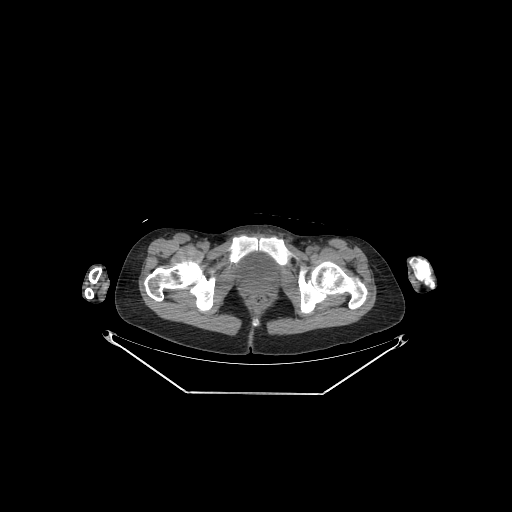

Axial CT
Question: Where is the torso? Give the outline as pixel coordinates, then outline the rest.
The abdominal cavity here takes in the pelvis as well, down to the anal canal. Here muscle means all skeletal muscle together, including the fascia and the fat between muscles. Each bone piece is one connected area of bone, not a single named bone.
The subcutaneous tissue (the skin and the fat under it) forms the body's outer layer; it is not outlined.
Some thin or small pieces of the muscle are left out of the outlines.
Answer: The torso is outlined by [[244,224],[272,224],[300,235],[351,235],[366,240],[379,250],[402,291],[405,300],[403,318],[387,330],[352,343],[298,355],[251,352],[225,355],[201,351],[170,342],[127,323],[117,313],[114,291],[123,262],[137,240],[157,228],[187,228],[219,233]]. The right arm is outlined by [[97,262],[99,262],[103,264],[106,267],[107,269],[107,273],[109,277],[109,286],[107,289],[107,293],[106,294],[105,299],[100,303],[94,304],[93,303],[88,302],[82,297],[81,295],[81,284],[83,280],[84,274],[87,268],[91,264],[96,263]]. The muscle appears in 4 outlined pieces: piece 1: [[241,230],[271,230],[283,233],[291,238],[293,245],[312,259],[316,259],[327,240],[333,238],[357,245],[366,255],[373,272],[376,285],[373,307],[358,321],[348,325],[314,329],[298,334],[271,335],[267,333],[265,322],[290,316],[293,307],[289,299],[283,293],[260,320],[253,317],[251,322],[246,306],[233,287],[224,298],[220,309],[242,320],[242,325],[234,336],[160,318],[143,302],[138,288],[138,278],[149,244],[156,238],[168,238],[177,232],[191,236],[194,246],[205,253],[231,237],[226,249],[227,259],[237,265],[235,283],[252,312],[263,310],[276,297],[282,277],[281,267],[287,265],[292,258],[297,260],[298,257],[287,247],[282,237],[274,234],[233,235]] with holes at [[326,260],[340,266],[349,276],[358,276],[364,283],[368,293],[365,301],[359,307],[351,309],[348,306],[350,295],[345,292],[327,295],[316,304],[310,313],[304,313],[300,310],[298,285],[300,267],[302,265],[308,267],[306,273],[308,278],[312,269]] and at [[188,259],[197,262],[207,277],[211,275],[212,271],[215,276],[213,305],[208,310],[200,311],[198,309],[196,306],[196,299],[188,289],[165,288],[163,290],[164,297],[161,301],[153,299],[145,291],[144,279],[155,268],[158,266],[168,268],[177,262]]; piece 2: [[103,272],[104,274],[104,280],[105,281],[105,287],[102,293],[99,296],[97,297],[96,296],[95,297],[95,292],[93,290],[93,289],[90,286],[87,286],[85,288],[85,284],[88,279],[88,281],[92,285],[95,284],[99,280]]; piece 3: [[413,273],[413,274],[414,275],[414,276],[416,278],[416,279],[419,281],[421,281],[425,286],[424,286],[423,285],[421,285],[420,286],[420,287],[419,286],[418,287],[416,285],[416,284],[414,281],[414,278],[412,276],[412,275],[413,274]]; piece 4: [[251,324],[251,325],[253,327],[257,327],[255,327],[254,328],[254,329],[253,330],[253,333],[252,334],[252,336],[251,337],[251,338],[250,339],[249,339],[249,333],[250,332],[250,330],[251,329]]. The bones appear in 7 outlined pieces: piece 1: [[326,260],[340,266],[349,276],[358,276],[364,283],[368,293],[365,301],[359,307],[351,309],[348,306],[350,295],[345,292],[327,295],[316,304],[310,313],[304,313],[300,310],[298,285],[300,267],[302,265],[308,267],[306,273],[308,278],[312,269]]; piece 2: [[188,259],[197,262],[207,277],[211,275],[212,271],[215,276],[213,305],[208,310],[200,311],[198,309],[196,306],[196,299],[188,289],[165,288],[163,290],[164,297],[161,301],[153,299],[145,291],[144,279],[155,268],[158,266],[168,268],[177,262]]; piece 3: [[241,234],[257,237],[261,236],[269,237],[274,235],[279,238],[282,238],[286,247],[297,257],[297,259],[292,257],[287,264],[279,265],[266,253],[261,251],[254,251],[244,256],[237,263],[230,262],[228,259],[229,252],[227,249],[231,244],[232,237]]; piece 4: [[412,257],[419,257],[420,258],[426,259],[428,261],[431,267],[431,271],[432,272],[431,273],[432,274],[431,275],[433,277],[435,282],[435,286],[434,288],[432,289],[426,286],[421,280],[417,279],[414,274],[413,269],[409,262],[410,259]]; piece 5: [[97,266],[99,266],[100,267],[101,267],[101,268],[102,269],[102,272],[101,273],[101,274],[100,275],[100,276],[99,277],[98,280],[95,283],[92,284],[89,281],[89,279],[88,278],[88,274],[89,273],[90,270],[91,270],[94,267],[96,267]]; piece 6: [[87,287],[90,287],[92,289],[92,290],[94,292],[94,297],[93,298],[92,298],[91,299],[88,299],[87,298],[86,298],[85,297],[85,296],[84,295],[84,291],[85,290],[85,289]]; piece 7: [[253,318],[257,318],[260,321],[260,324],[258,326],[253,326],[252,325],[252,324],[251,323],[252,322],[252,319]]. The left arm is outlined by [[414,254],[422,255],[427,258],[428,260],[429,260],[431,265],[433,267],[434,272],[438,279],[438,285],[437,287],[435,287],[430,291],[426,292],[425,293],[418,293],[414,291],[407,276],[407,266],[406,265],[406,259],[408,256],[410,255],[413,255]]. The abdominal cavity is outlined by [[254,252],[261,252],[266,254],[279,266],[281,266],[280,267],[281,277],[280,278],[280,282],[277,289],[276,295],[275,297],[274,297],[273,299],[263,308],[263,309],[261,309],[259,311],[252,311],[236,283],[236,268],[238,265],[237,264],[244,257]].